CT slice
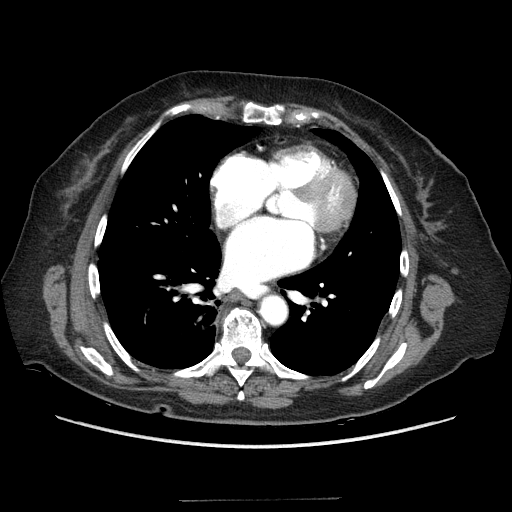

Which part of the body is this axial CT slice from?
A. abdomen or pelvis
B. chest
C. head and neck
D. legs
Answer: B. chest
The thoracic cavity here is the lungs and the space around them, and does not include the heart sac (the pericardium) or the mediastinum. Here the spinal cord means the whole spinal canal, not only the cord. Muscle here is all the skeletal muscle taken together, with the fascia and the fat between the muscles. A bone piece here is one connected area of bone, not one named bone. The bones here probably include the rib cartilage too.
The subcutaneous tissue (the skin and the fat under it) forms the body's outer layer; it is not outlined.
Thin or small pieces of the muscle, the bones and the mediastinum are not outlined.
{"spinal_cord":[[[239,347],[243,347],[244,348],[245,348],[246,349],[247,349],[250,352],[250,357],[246,361],[245,361],[242,364],[240,364],[239,363],[238,363],[235,360],[235,359],[232,356],[232,351],[234,349],[235,349],[236,348],[238,348]]],"mediastinum":[[[277,280],[280,294],[288,306],[289,317],[285,323],[271,334],[267,341],[264,339],[263,326],[260,319],[248,308],[234,306],[222,317],[220,323],[216,319],[217,308],[221,304],[222,294],[224,293],[222,282],[230,289],[248,294],[265,284],[273,283]],[[208,116],[222,116],[225,119],[234,119],[242,123],[263,123],[272,126],[283,124],[291,125],[294,123],[302,125],[317,123],[331,128],[311,129],[313,134],[327,141],[309,135],[279,133],[252,139],[259,133],[257,127],[242,125],[222,118],[216,119]]],"torso":[[[194,69],[335,81],[381,102],[428,137],[467,177],[509,270],[508,297],[493,351],[469,359],[451,374],[389,409],[362,417],[289,426],[211,424],[142,413],[85,393],[39,364],[26,365],[8,321],[2,276],[20,235],[37,177],[104,110],[160,78]]],"pericardium":[[[275,134],[309,136],[334,146],[345,156],[358,179],[356,203],[346,231],[324,259],[301,273],[282,277],[273,282],[265,283],[253,291],[244,293],[235,288],[228,287],[220,278],[222,251],[217,237],[210,227],[210,180],[214,169],[224,156],[252,140]]],"muscle":[{"outer":[[280,102],[299,103],[331,113],[353,129],[389,166],[419,234],[417,280],[430,273],[437,274],[449,283],[456,296],[445,309],[443,329],[435,344],[417,364],[376,390],[350,397],[312,393],[297,397],[287,407],[276,409],[244,402],[193,404],[175,392],[120,389],[89,375],[62,351],[53,337],[42,297],[43,276],[52,265],[72,262],[87,215],[120,152],[151,124],[123,159],[119,171],[121,178],[108,213],[101,214],[95,228],[93,247],[97,249],[97,263],[91,260],[87,265],[90,296],[93,300],[101,298],[107,317],[101,325],[119,358],[135,373],[142,371],[136,360],[155,368],[173,370],[170,374],[175,378],[211,378],[225,368],[241,388],[256,368],[280,379],[292,380],[331,376],[349,368],[338,380],[343,383],[358,373],[376,352],[382,338],[377,334],[382,320],[386,314],[394,319],[401,307],[403,288],[397,285],[400,276],[407,277],[410,267],[408,250],[401,241],[398,217],[403,213],[399,198],[387,173],[382,168],[378,169],[352,140],[337,129],[310,122],[323,114],[320,111],[290,109]],"holes":[[[401,342],[406,342],[407,343],[407,346],[402,358],[395,365],[394,365],[391,368],[388,369],[383,374],[383,375],[379,379],[379,380],[371,388],[365,389],[363,387],[363,384],[364,382],[367,379],[373,378],[378,374],[389,357],[397,349],[398,346]],[[79,345],[82,345],[86,347],[92,347],[97,350],[97,351],[99,352],[99,353],[103,357],[103,358],[112,367],[112,369],[113,370],[113,375],[109,376],[105,374],[95,365],[90,362],[86,358],[86,357],[83,354],[83,353],[79,348]],[[240,389],[241,389],[243,391],[243,393],[244,394],[244,399],[242,401],[240,401],[239,400],[238,400],[237,399],[237,398],[236,397],[237,396],[237,394],[238,393],[238,392],[239,391],[239,390]]]}],"thoracic_cavity":[[[190,113],[255,127],[258,133],[224,155],[209,180],[208,227],[221,251],[219,278],[223,293],[215,318],[220,324],[221,333],[212,350],[200,361],[182,368],[165,369],[134,359],[112,329],[101,297],[98,248],[104,237],[118,184],[138,152],[162,125]],[[328,128],[352,141],[381,176],[398,220],[401,242],[399,277],[375,337],[357,360],[335,374],[310,375],[283,364],[271,351],[268,341],[290,317],[278,281],[301,274],[325,260],[347,231],[354,215],[359,179],[353,166],[343,150],[312,132],[312,129]]],"bones":[{"outer":[[234,307],[248,309],[257,316],[262,326],[263,339],[268,343],[272,354],[283,365],[310,377],[308,379],[280,378],[256,367],[241,387],[225,367],[221,367],[211,377],[206,375],[172,376],[174,370],[200,362],[213,350],[216,340],[222,333],[222,319]],"hole":[[239,347],[243,347],[244,348],[245,348],[246,349],[247,349],[250,352],[250,357],[246,361],[245,361],[242,364],[240,364],[239,363],[238,363],[235,360],[235,359],[232,356],[232,351],[234,349],[235,349],[236,348],[238,348]]},[[240,100],[251,100],[264,106],[284,103],[290,110],[315,110],[322,114],[318,118],[302,124],[294,122],[272,125],[242,122],[222,115],[205,115],[190,111],[165,116],[162,124],[137,152],[121,177],[121,167],[128,152],[168,108],[183,102],[231,104]],[[104,320],[106,320],[108,322],[111,329],[113,331],[118,341],[125,349],[125,350],[131,356],[136,365],[141,370],[140,372],[138,373],[137,372],[135,372],[132,369],[131,369],[120,358],[120,357],[113,349],[105,334],[105,332],[102,325],[102,322]],[[401,342],[406,342],[407,343],[407,346],[402,358],[395,365],[394,365],[391,368],[388,369],[383,374],[383,375],[379,379],[379,380],[371,388],[365,389],[363,387],[363,384],[364,382],[367,379],[373,378],[378,374],[389,357],[397,349],[398,346]],[[378,334],[381,336],[380,342],[375,352],[368,360],[368,361],[363,366],[363,367],[352,377],[346,381],[344,381],[343,382],[340,381],[339,380],[340,378],[346,374],[350,370],[350,368],[366,351],[366,350],[369,347],[369,346],[372,343]],[[79,345],[82,345],[86,347],[92,347],[97,350],[97,351],[99,352],[99,353],[103,357],[103,358],[112,367],[112,369],[113,370],[113,375],[109,376],[105,374],[95,365],[90,362],[86,358],[86,357],[83,354],[83,353],[79,348]],[[91,261],[93,261],[95,262],[97,266],[97,270],[98,271],[98,279],[99,280],[99,288],[100,289],[100,295],[99,295],[96,298],[96,299],[93,299],[92,298],[91,296],[91,293],[89,289],[89,282],[88,281],[88,265]],[[379,169],[382,169],[386,173],[391,183],[391,185],[399,201],[399,204],[400,205],[400,207],[401,208],[401,212],[402,213],[401,216],[398,216],[395,210],[395,208],[391,200],[390,195],[385,185],[385,183],[382,178],[382,176],[379,171]],[[399,286],[402,288],[402,297],[401,298],[401,303],[400,304],[400,307],[396,315],[394,317],[394,318],[391,318],[388,315],[387,313],[388,312],[388,310],[389,309],[389,307],[390,306],[390,304],[391,303],[392,298],[396,290],[396,288]],[[103,213],[107,213],[107,222],[106,223],[106,226],[105,227],[105,230],[104,231],[104,233],[103,234],[103,237],[102,238],[101,243],[96,249],[94,247],[94,238],[95,237],[95,233],[96,232],[96,228],[97,227],[98,222]],[[402,247],[404,247],[407,250],[407,252],[408,253],[408,259],[409,260],[409,267],[408,268],[408,272],[407,273],[407,275],[406,276],[406,277],[402,277],[400,275],[400,254],[401,253],[401,249],[402,248]]]}